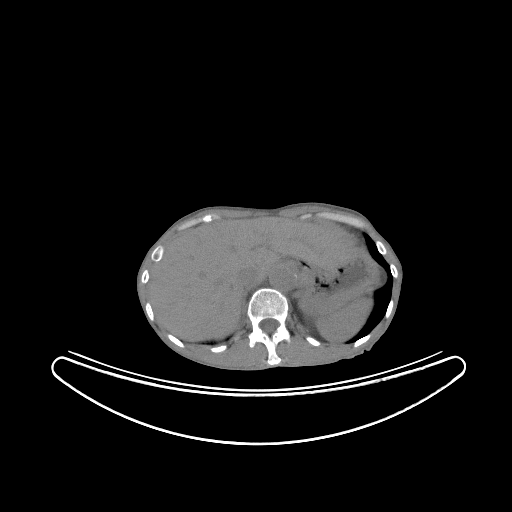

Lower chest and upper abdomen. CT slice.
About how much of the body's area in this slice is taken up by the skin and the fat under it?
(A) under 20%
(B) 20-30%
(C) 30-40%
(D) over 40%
(A) under 20%
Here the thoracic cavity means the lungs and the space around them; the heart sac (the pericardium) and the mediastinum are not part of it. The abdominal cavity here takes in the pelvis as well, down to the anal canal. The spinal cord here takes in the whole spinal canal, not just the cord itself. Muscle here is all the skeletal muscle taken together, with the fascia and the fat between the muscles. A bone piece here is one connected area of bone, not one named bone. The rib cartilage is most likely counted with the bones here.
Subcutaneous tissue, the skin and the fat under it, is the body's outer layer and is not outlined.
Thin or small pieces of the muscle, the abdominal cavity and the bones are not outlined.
The muscle appears in 5 outlined pieces: piece 1: [[246,310],[251,326],[246,335],[248,346],[252,348],[259,342],[267,351],[267,365],[261,367],[226,367],[188,356],[169,343],[152,323],[155,318],[167,330],[167,338],[180,348],[185,343],[212,345],[209,350],[220,353],[228,346],[222,343],[240,328]]; piece 2: [[289,308],[295,321],[308,334],[305,340],[315,347],[325,342],[352,343],[352,346],[357,348],[371,337],[372,330],[383,318],[389,319],[381,332],[356,352],[321,362],[281,363],[282,359],[276,348],[281,341],[288,343],[291,341],[291,333],[286,324]]; piece 3: [[303,205],[318,205],[349,212],[361,217],[369,224],[392,252],[398,263],[400,277],[394,307],[394,300],[391,297],[393,280],[399,276],[399,271],[397,267],[392,262],[388,262],[385,259],[384,256],[387,254],[388,251],[385,244],[379,239],[374,240],[367,232],[362,229],[366,226],[366,223],[356,216],[331,211],[320,211],[315,213],[314,215],[309,212],[291,217],[281,215],[263,215],[262,216],[230,217],[229,218],[226,217],[225,218],[220,217],[215,212],[209,212],[199,217],[191,218],[185,221],[178,227],[179,230],[176,231],[171,236],[165,245],[161,244],[157,245],[161,239],[176,224],[207,209],[237,209],[238,210],[251,210],[252,211],[278,211],[281,209]]; piece 4: [[139,279],[139,281],[142,284],[146,284],[147,283],[147,294],[148,295],[148,297],[149,298],[149,301],[147,301],[144,304],[144,306],[144,305],[143,304],[143,303],[142,302],[142,300],[141,299],[141,294],[140,293],[140,288],[139,287]]; piece 5: [[149,255],[149,257],[150,258],[150,259],[153,262],[154,262],[154,263],[153,264],[151,269],[149,271],[149,270],[147,268],[145,268],[141,272],[141,273],[141,270],[143,267],[143,265],[144,264],[144,263],[145,262],[147,257]]. The spinal cord is outlined by [[268,318],[271,318],[272,319],[274,319],[275,320],[276,320],[278,322],[278,325],[277,326],[277,327],[275,329],[275,330],[272,333],[267,333],[266,332],[265,332],[260,327],[260,326],[259,325],[260,322],[262,320],[263,320],[264,319],[267,319]]. The bones appear in 10 outlined pieces: piece 1: [[268,287],[279,291],[288,301],[288,314],[285,319],[285,324],[290,333],[290,341],[281,340],[277,343],[275,349],[281,359],[277,365],[268,365],[268,351],[266,346],[258,341],[250,347],[247,336],[252,329],[251,322],[247,315],[248,301],[255,290]] with a hole at [[268,318],[271,318],[272,319],[274,319],[275,320],[276,320],[278,322],[278,325],[277,326],[277,327],[275,329],[275,330],[272,333],[267,333],[266,332],[265,332],[260,327],[260,326],[259,325],[260,322],[262,320],[263,320],[264,319],[267,319]]; piece 2: [[320,212],[331,212],[332,213],[338,213],[343,215],[348,215],[349,216],[356,217],[363,221],[365,223],[365,226],[363,228],[359,228],[353,225],[350,225],[341,221],[337,221],[332,219],[326,219],[325,218],[316,217],[315,216],[315,214]]; piece 3: [[209,213],[215,213],[217,214],[219,216],[218,218],[214,218],[210,221],[208,221],[207,222],[202,221],[201,222],[196,223],[193,225],[191,225],[188,227],[186,227],[183,229],[179,229],[179,227],[185,222],[191,219],[196,219],[197,218],[199,218]]; piece 4: [[158,245],[161,245],[162,246],[163,246],[163,254],[162,255],[162,257],[161,258],[161,259],[159,261],[157,261],[156,262],[155,262],[151,259],[151,258],[150,257],[150,255],[151,254],[151,252],[152,251],[152,250],[156,246],[157,246]]; piece 5: [[147,302],[149,302],[150,303],[150,304],[151,305],[151,307],[152,308],[152,310],[153,311],[153,314],[154,315],[154,319],[153,320],[153,321],[150,321],[149,320],[149,319],[146,315],[146,313],[145,312],[145,310],[144,309],[145,304]]; piece 6: [[375,240],[379,240],[381,242],[382,242],[384,244],[384,245],[385,246],[385,247],[386,248],[386,250],[387,251],[386,252],[386,254],[385,254],[384,255],[382,255],[377,250],[377,248],[376,247],[376,246],[375,245],[375,242],[374,241]]; piece 7: [[370,332],[370,337],[365,342],[364,342],[362,344],[361,344],[360,345],[359,345],[357,347],[354,347],[353,346],[353,343],[356,340],[357,340],[359,338],[360,338],[361,337],[362,337],[363,336],[364,336],[365,335],[366,335],[367,334],[368,334]]; piece 8: [[168,333],[170,333],[171,334],[172,334],[174,336],[175,336],[178,339],[179,339],[184,344],[184,347],[180,347],[179,346],[178,346],[176,344],[175,344],[173,342],[172,342],[168,338],[168,337],[167,336],[167,334]]; piece 9: [[391,298],[393,300],[393,308],[392,309],[392,311],[391,312],[391,315],[388,318],[385,318],[384,317],[384,315],[385,314],[385,313],[386,312],[386,310],[387,309],[387,306],[388,305],[388,304],[389,303],[389,301],[390,300],[390,299]]; piece 10: [[308,335],[309,335],[310,336],[311,336],[312,337],[313,337],[314,338],[315,338],[316,339],[317,339],[319,341],[320,341],[320,342],[321,343],[321,344],[318,346],[315,346],[314,345],[312,345],[311,344],[310,344],[306,340],[306,336],[307,336]]. The torso is outlined by [[302,201],[327,202],[361,212],[388,240],[401,261],[403,280],[397,309],[389,327],[373,347],[361,355],[325,365],[236,371],[196,363],[166,346],[156,335],[142,312],[135,283],[137,270],[146,251],[166,228],[179,217],[204,206],[236,205],[269,208]]. The thoracic cavity is outlined by [[366,234],[373,240],[376,250],[388,263],[389,271],[393,279],[391,294],[383,317],[379,322],[371,331],[353,342],[348,343],[347,342],[353,338],[367,323],[376,306],[376,292],[383,288],[388,280],[388,274],[385,268],[373,257],[370,252],[365,238]]. The abdominal cavity is outlined by [[263,216],[314,216],[368,234],[364,238],[369,252],[384,268],[387,280],[375,292],[375,306],[366,323],[345,343],[310,335],[292,315],[288,298],[269,286],[252,292],[239,328],[218,344],[184,343],[156,319],[148,294],[150,271],[176,232],[219,218]].